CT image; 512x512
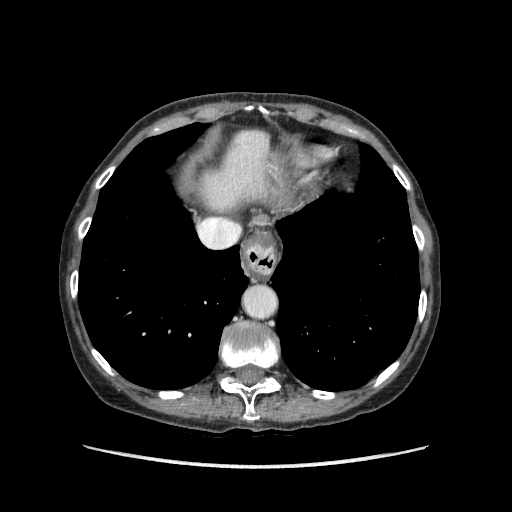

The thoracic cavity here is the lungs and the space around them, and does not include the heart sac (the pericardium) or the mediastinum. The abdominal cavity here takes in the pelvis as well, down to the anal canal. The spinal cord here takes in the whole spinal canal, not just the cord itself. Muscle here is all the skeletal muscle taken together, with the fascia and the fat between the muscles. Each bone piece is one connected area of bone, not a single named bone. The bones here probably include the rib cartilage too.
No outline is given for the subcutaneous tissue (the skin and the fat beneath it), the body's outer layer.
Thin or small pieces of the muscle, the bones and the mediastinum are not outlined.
{"spinal_cord":[[[247,364],[252,364],[253,365],[255,365],[258,367],[260,367],[264,369],[265,372],[264,373],[264,376],[261,381],[256,382],[251,385],[246,385],[242,383],[237,379],[236,377],[236,375],[235,374],[235,369],[237,368],[239,368],[242,366],[244,366]]],"abdominal_cavity":[[[240,110],[247,112],[257,110],[287,133],[304,136],[301,152],[305,162],[321,184],[330,187],[318,199],[284,216],[275,225],[250,228],[239,244],[221,249],[210,248],[198,236],[191,214],[174,192],[166,169],[208,127],[208,124],[202,121],[215,120]]],"torso":[[[226,91],[306,94],[347,106],[387,136],[421,188],[439,238],[439,317],[414,378],[394,400],[374,411],[296,430],[232,429],[214,433],[184,428],[106,404],[86,383],[72,357],[59,301],[58,261],[62,232],[82,187],[121,136],[142,116],[178,99]]],"thoracic_cavity":[[[196,121],[207,127],[165,172],[173,192],[189,212],[200,242],[214,250],[239,245],[240,266],[248,280],[233,317],[222,329],[219,360],[211,374],[181,389],[157,390],[124,377],[93,345],[78,302],[79,267],[83,242],[100,190],[118,166],[146,138]],[[360,141],[379,154],[406,194],[411,231],[418,252],[420,289],[416,319],[409,339],[398,357],[363,385],[339,391],[312,388],[297,379],[280,360],[281,348],[276,332],[280,298],[271,280],[284,249],[277,223],[318,200],[328,191],[351,194],[361,169]]],"pericardium":[[[307,135],[320,135],[321,136],[324,136],[329,138],[333,141],[335,141],[341,144],[344,147],[345,153],[346,154],[346,167],[338,179],[337,179],[331,186],[325,186],[322,184],[318,178],[314,175],[304,158],[302,152],[302,146],[304,141],[304,137]]],"bones":[{"outer":[[241,320],[263,325],[277,336],[280,348],[279,360],[270,372],[280,383],[281,388],[275,392],[259,393],[255,397],[254,409],[259,415],[256,420],[243,419],[245,404],[242,397],[237,393],[224,391],[218,382],[229,373],[219,359],[219,344],[223,329]],"hole":[[247,364],[252,364],[253,365],[255,365],[258,367],[260,367],[264,369],[265,372],[264,373],[264,376],[261,381],[256,382],[251,385],[246,385],[242,383],[237,379],[236,377],[236,375],[235,374],[235,369],[237,368],[239,368],[242,366],[244,366]]},[[325,118],[329,120],[336,121],[340,123],[344,123],[350,126],[357,128],[366,136],[366,139],[364,141],[361,141],[359,139],[355,137],[352,137],[348,135],[342,134],[339,132],[336,132],[330,129],[328,127],[324,126],[322,121],[323,119]],[[181,116],[185,116],[186,117],[188,117],[189,120],[190,121],[192,121],[189,121],[187,123],[181,126],[170,129],[162,133],[147,137],[147,134],[148,132],[154,126],[158,125],[163,122],[165,122],[170,119],[176,118],[177,117],[180,117]],[[398,358],[399,359],[400,362],[399,363],[399,365],[397,367],[397,368],[386,379],[385,379],[376,387],[373,387],[372,386],[372,381],[375,378],[375,377],[381,371],[382,371],[385,368],[386,368],[390,364],[391,364],[396,359],[397,359]],[[91,346],[93,346],[101,354],[101,355],[108,362],[108,363],[118,373],[116,375],[115,375],[114,376],[112,376],[111,375],[110,375],[98,363],[98,362],[94,358],[94,357],[92,355],[92,354],[91,353],[91,352],[90,351],[90,347]],[[421,288],[424,288],[426,291],[426,293],[427,294],[427,304],[426,305],[425,314],[423,317],[423,319],[422,320],[422,321],[420,323],[416,323],[416,320],[417,319],[417,312],[418,311],[418,304],[419,303],[419,296],[420,295],[420,290],[421,289]],[[112,164],[115,164],[117,165],[117,167],[115,169],[113,173],[110,176],[110,177],[105,183],[105,184],[100,189],[95,189],[94,188],[94,186],[95,185],[95,182],[98,178],[98,177],[100,175],[100,174],[106,168],[107,168],[110,165]],[[392,163],[395,163],[404,173],[407,179],[409,181],[409,183],[411,187],[411,190],[409,190],[408,191],[405,190],[403,186],[400,183],[400,182],[398,180],[398,179],[396,177],[396,176],[394,174],[393,171],[390,167]],[[412,223],[415,223],[419,226],[419,227],[422,230],[422,232],[424,236],[424,245],[423,246],[423,249],[421,252],[419,252],[418,251],[418,249],[417,248],[417,246],[416,245],[416,243],[414,239],[414,236],[413,235],[413,232],[412,231]],[[88,215],[91,215],[92,216],[92,219],[91,220],[91,222],[90,223],[89,228],[88,229],[88,230],[87,231],[87,232],[86,233],[83,240],[80,241],[78,239],[78,227],[79,226],[79,224],[81,222],[81,221],[86,216],[87,216]],[[75,268],[76,268],[77,269],[78,269],[78,283],[77,284],[77,299],[76,299],[75,300],[74,300],[72,298],[72,296],[71,295],[71,291],[70,290],[70,274],[71,273],[71,272]]],"muscle":[{"outer":[[220,101],[306,103],[343,115],[373,133],[412,182],[417,206],[433,239],[429,325],[400,373],[368,399],[343,412],[295,422],[265,419],[254,423],[205,421],[159,412],[118,391],[91,363],[75,333],[65,277],[73,227],[97,177],[93,188],[99,193],[94,212],[77,227],[77,239],[83,241],[79,266],[69,274],[69,290],[71,298],[77,300],[92,344],[89,351],[110,376],[120,374],[134,384],[156,390],[162,400],[173,400],[185,395],[182,389],[210,376],[220,361],[228,370],[217,381],[220,388],[241,397],[243,420],[256,421],[260,418],[256,397],[282,388],[271,372],[279,361],[305,388],[311,388],[313,398],[320,400],[334,399],[337,392],[357,389],[374,377],[371,386],[376,388],[400,365],[399,356],[415,324],[423,321],[428,304],[419,274],[425,236],[420,226],[411,222],[406,191],[412,187],[407,176],[395,162],[387,165],[365,142],[367,136],[360,129],[326,117],[322,127],[274,113],[260,103],[248,104],[215,119],[193,121],[181,115],[156,124],[118,165],[106,167],[154,121]],"holes":[[[298,108],[310,108],[314,111],[315,111],[315,112],[316,113],[316,115],[315,116],[315,117],[314,117],[313,118],[310,118],[309,119],[306,119],[305,118],[298,117],[297,116],[296,116],[296,115],[295,114],[295,111],[296,110],[296,109],[297,109]],[[207,108],[214,108],[215,109],[216,109],[218,111],[219,111],[219,114],[217,114],[216,115],[215,115],[212,117],[210,117],[209,118],[201,118],[200,117],[197,117],[196,118],[194,116],[195,115],[195,114],[197,112],[198,112],[201,110],[204,110]]]}],"mediastinum":[[[276,225],[283,246],[282,257],[275,266],[270,277],[271,286],[279,298],[279,306],[275,319],[276,334],[263,324],[248,319],[236,320],[228,324],[234,317],[239,307],[241,296],[247,287],[249,280],[241,266],[240,243],[250,229],[256,227],[271,228]],[[274,114],[288,115],[304,123],[329,129],[336,133],[359,140],[357,146],[359,151],[360,169],[353,191],[351,193],[338,193],[336,190],[327,190],[339,179],[347,167],[347,154],[345,147],[341,143],[320,134],[301,135],[287,132],[268,117]]]}